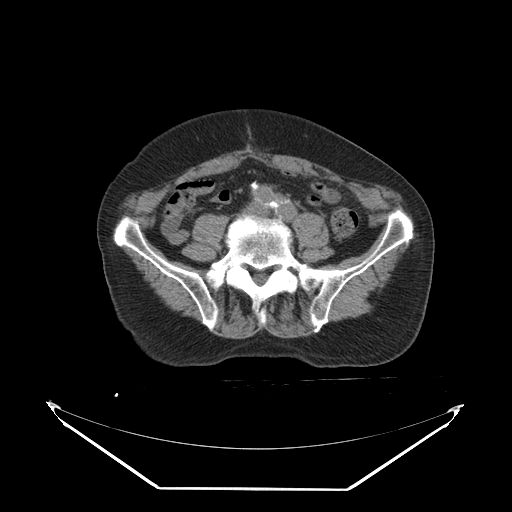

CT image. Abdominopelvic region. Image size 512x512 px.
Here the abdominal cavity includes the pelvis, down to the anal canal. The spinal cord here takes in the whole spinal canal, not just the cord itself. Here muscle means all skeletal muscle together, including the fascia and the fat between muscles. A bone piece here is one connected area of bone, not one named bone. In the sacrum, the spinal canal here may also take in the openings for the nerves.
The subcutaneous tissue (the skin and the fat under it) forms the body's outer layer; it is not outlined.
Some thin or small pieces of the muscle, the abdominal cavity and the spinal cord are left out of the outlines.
{"spinal_cord":[[[255,271],[266,271],[268,273],[268,275],[267,276],[267,278],[266,279],[266,280],[265,281],[265,282],[263,284],[262,284],[261,285],[259,285],[258,284],[257,284],[253,280],[253,277],[252,276],[252,274],[253,273],[253,272],[254,272]]],"muscle":[[[241,148],[304,158],[344,177],[378,183],[400,193],[413,212],[417,233],[371,312],[321,329],[329,322],[332,303],[353,277],[364,272],[391,250],[402,244],[409,244],[414,237],[414,220],[401,206],[396,206],[387,213],[385,228],[379,242],[371,253],[360,262],[345,268],[318,267],[335,264],[346,258],[361,255],[372,245],[381,229],[367,223],[361,202],[348,187],[317,175],[294,172],[257,161],[243,161],[226,171],[192,177],[175,183],[159,202],[154,222],[147,232],[147,240],[171,261],[178,261],[195,268],[208,268],[204,277],[196,271],[173,264],[154,251],[147,243],[138,220],[128,214],[123,215],[115,224],[111,239],[117,207],[129,193],[153,185],[219,154]],[[224,283],[250,298],[251,310],[261,325],[267,322],[266,309],[262,304],[270,297],[284,292],[293,294],[299,286],[306,292],[318,288],[307,309],[313,334],[282,338],[262,330],[241,339],[215,335],[211,332],[218,321],[219,308],[209,286],[216,291]],[[123,246],[127,247],[136,252],[140,256],[149,261],[163,274],[170,278],[172,278],[178,282],[187,292],[196,305],[201,318],[201,320],[200,321],[201,324],[194,320],[175,314],[163,306],[155,296],[139,272],[129,260],[123,251],[119,247],[122,247]],[[208,213],[211,213],[216,215],[225,215],[228,217],[228,221],[226,224],[226,231],[223,239],[227,250],[220,258],[214,261],[211,262],[197,261],[184,255],[181,251],[187,244],[190,243],[193,240],[192,230],[196,219],[201,215],[207,214]],[[304,212],[314,213],[323,218],[328,230],[329,244],[330,247],[333,250],[333,253],[331,255],[326,258],[314,261],[310,264],[302,261],[297,254],[299,251],[299,246],[298,245],[298,241],[295,236],[295,231],[293,227],[294,220],[296,219],[299,214]]],"abdominal_cavity":[[[243,162],[348,188],[378,235],[361,254],[313,267],[334,253],[321,215],[304,211],[293,220],[301,262],[291,249],[293,232],[279,218],[241,213],[227,227],[227,215],[208,212],[195,219],[180,252],[209,267],[169,259],[148,240],[164,196],[179,182]]],"bones":[{"outer":[[396,207],[413,237],[348,280],[316,333],[308,309],[318,287],[270,296],[261,324],[244,291],[209,285],[218,308],[210,331],[178,281],[112,239],[128,215],[154,252],[204,278],[228,250],[228,225],[253,214],[289,227],[301,263],[345,269],[372,253]],"hole":[[255,271],[266,271],[268,273],[268,275],[267,276],[267,278],[266,279],[266,280],[265,281],[265,282],[263,284],[262,284],[261,285],[259,285],[258,284],[257,284],[253,280],[253,277],[252,276],[252,274],[253,273],[253,272],[254,272]]}],"torso":[[[236,108],[273,109],[315,121],[385,161],[421,194],[433,221],[433,273],[421,329],[405,353],[387,363],[367,367],[318,368],[291,358],[265,357],[174,367],[147,357],[118,322],[96,238],[97,212],[108,183],[144,144],[164,130],[195,116]]]}